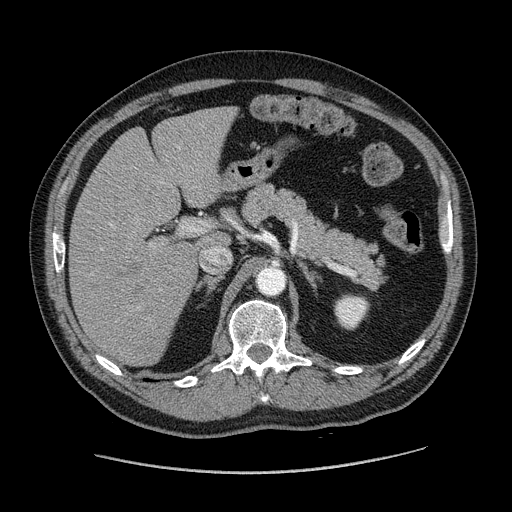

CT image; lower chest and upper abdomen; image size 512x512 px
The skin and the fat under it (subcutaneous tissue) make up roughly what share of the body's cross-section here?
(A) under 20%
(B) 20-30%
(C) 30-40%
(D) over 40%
(A) under 20%
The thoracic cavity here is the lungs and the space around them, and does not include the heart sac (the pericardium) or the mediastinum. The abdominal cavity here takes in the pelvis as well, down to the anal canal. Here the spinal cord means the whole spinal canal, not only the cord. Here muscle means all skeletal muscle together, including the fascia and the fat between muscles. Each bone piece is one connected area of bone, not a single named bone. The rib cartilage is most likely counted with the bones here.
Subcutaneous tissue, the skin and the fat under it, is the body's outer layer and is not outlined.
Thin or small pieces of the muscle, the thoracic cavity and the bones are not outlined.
Outlined structures:
bones 1: 251 299; 262 299; 281 308; 287 321; 286 348; 297 355; 309 357; 311 365; 296 365; 287 372; 278 373; 268 368; 261 383; 255 373; 248 368; 240 375; 236 375; 230 368; 210 371; 211 367; 232 351; 227 329; 231 313; 238 305, around a hole outlined by 256 344; 263 344; 266 346; 268 346; 271 349; 271 353; 270 354; 270 355; 269 356; 268 356; 267 357; 267 358; 265 360; 264 360; 261 362; 257 362; 256 361; 255 361; 253 359; 252 359; 247 354; 247 351; 253 345; 255 345
bones 2: 440 170; 443 171; 447 178; 449 186; 449 197; 451 199; 452 225; 453 226; 453 244; 451 252; 448 254; 444 253; 440 243; 440 237; 439 236; 440 221; 442 216; 446 212; 446 206; 445 205; 446 197; 442 190; 442 185; 439 177
bones 3: 55 225; 56 225; 57 227; 57 230; 62 234; 63 236; 63 239; 64 240; 64 243; 65 244; 64 267; 63 268; 63 270; 59 273; 57 273; 56 272; 55 270; 55 267; 54 266; 54 262; 53 261; 52 232; 53 231; 53 228
bones 4: 421 337; 424 337; 426 339; 426 341; 424 343; 422 347; 419 350; 419 351; 412 358; 404 362; 402 364; 402 365; 399 365; 397 363; 397 361; 398 359; 401 356; 401 355; 416 340; 417 340
bones 5: 346 364; 348 364; 349 365; 361 365; 364 367; 364 369; 362 372; 360 373; 357 373; 356 374; 348 374; 347 375; 346 374; 339 374; 338 373; 333 372; 331 370; 331 368; 330 367; 332 365; 334 366; 338 366; 339 365; 345 365
bones 6: 95 353; 99 353; 101 355; 104 356; 106 358; 107 358; 109 360; 110 360; 113 363; 114 363; 122 371; 122 372; 123 373; 123 375; 116 375; 112 372; 109 371; 107 369; 104 368; 97 361; 97 360; 94 355; 95 354
bones 7: 187 375; 196 375; 198 377; 198 383; 196 385; 194 385; 193 386; 189 386; 188 387; 178 387; 177 386; 175 386; 172 383; 172 381; 174 379; 178 379; 179 378; 181 378; 182 377; 183 377; 184 376; 186 376
bones 8: 68 176; 69 176; 69 181; 68 182; 68 187; 65 192; 65 194; 64 195; 64 196; 61 199; 61 200; 60 201; 60 204; 59 205; 58 205; 58 199; 57 198; 57 194; 60 189; 60 187; 62 185; 62 183; 64 181; 64 180
spinal cord: 256 344; 263 344; 266 346; 268 346; 271 349; 271 353; 270 354; 270 355; 269 356; 268 356; 267 357; 267 358; 265 360; 264 360; 261 362; 257 362; 256 361; 255 361; 253 359; 252 359; 247 354; 247 351; 253 345; 255 345
torso: 228 49; 306 53; 375 80; 427 120; 464 171; 477 229; 471 305; 445 365; 402 409; 346 426; 263 429; 212 439; 176 437; 144 429; 109 411; 74 379; 50 339; 36 300; 28 252; 30 211; 50 162; 77 125; 124 87; 172 62
thoracic cavity: 144 378; 149 378; 150 379; 151 379; 152 380; 158 380; 158 381; 143 381; 143 379
muscle: 207 78; 231 78; 232 79; 259 78; 270 80; 279 78; 304 78; 326 83; 330 86; 338 87; 344 90; 348 90; 364 96; 379 105; 383 110; 390 112; 411 123; 421 131; 437 148; 449 166; 455 178; 459 192; 460 219; 462 226; 462 248; 463 249; 463 273; 462 275; 463 279; 460 288; 460 292; 455 304; 453 314; 451 317; 450 326; 446 337; 435 357; 424 366; 417 374; 404 380; 389 389; 378 393; 375 393; 373 395; 359 401; 347 405; 335 407; 331 409; 295 411; 274 407; 271 405; 257 405; 246 413; 233 418; 225 418; 221 420; 211 420; 199 422; 177 418; 137 402; 129 396; 118 391; 115 388; 109 386; 103 381; 90 374; 82 367; 76 359; 69 347; 68 341; 64 337; 62 329; 60 327; 57 321; 57 318; 53 311; 50 297; 48 295; 45 280; 45 265; 44 264; 45 217; 46 216; 48 197; 59 169; 67 154; 74 144; 92 125; 100 119; 108 117; 125 104; 148 93; 158 91; 183 82 with holes at 250 82; 333 99; 399 132; 420 152; 434 178; 440 221; 446 212; 439 177; 443 171; 451 199; 453 244; 451 252; 444 254; 441 301; 418 337; 426 341; 402 365; 397 356; 347 375; 330 367; 345 363; 313 351; 295 326; 288 324; 286 348; 309 357; 312 364; 278 373; 268 368; 260 383; 248 368; 240 375; 230 368; 210 371; 232 351; 228 330; 222 327; 211 359; 191 374; 198 377; 196 385; 178 387; 172 379; 143 381; 124 372; 116 375; 97 361; 94 355; 98 351; 70 307; 65 272; 57 273; 54 266; 53 228; 56 225; 64 235; 68 204; 78 178; 70 172; 79 171; 87 152; 104 133; 140 111; 172 97 and at 68 176; 69 176; 69 181; 68 182; 68 187; 65 192; 65 194; 64 195; 64 196; 61 199; 61 200; 60 201; 60 204; 59 205; 58 205; 58 199; 57 198; 57 194; 60 189; 60 187; 62 185; 62 183; 64 181; 64 180 and at 260 391; 262 391; 264 393; 265 393; 266 394; 268 394; 269 395; 269 399; 265 403; 263 403; 261 401; 260 401; 260 400; 259 399; 259 398; 258 397; 258 396; 259 395; 259 393; 260 392
abdominal cavity: 250 82; 333 99; 390 126; 420 152; 438 189; 438 236; 446 265; 441 301; 399 356; 362 365; 313 351; 278 304; 251 298; 233 309; 211 359; 193 373; 173 379; 132 377; 88 340; 66 293; 65 222; 80 166; 104 133; 162 100